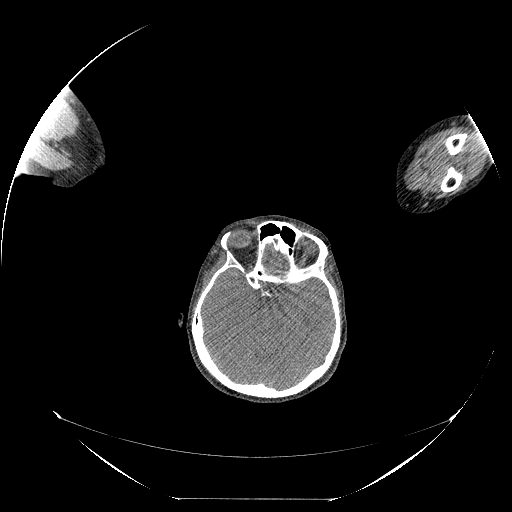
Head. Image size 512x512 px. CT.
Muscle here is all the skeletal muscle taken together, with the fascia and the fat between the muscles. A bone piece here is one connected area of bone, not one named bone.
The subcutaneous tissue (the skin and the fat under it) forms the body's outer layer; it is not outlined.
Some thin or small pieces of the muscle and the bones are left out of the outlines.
{"head":[{"outer":[[266,214],[280,214],[302,220],[326,235],[331,244],[345,294],[347,340],[335,372],[313,393],[297,403],[286,406],[243,401],[216,389],[200,373],[192,359],[186,320],[181,327],[178,326],[180,312],[182,311],[186,317],[198,270],[219,232],[236,220]],"holes":[[[267,225],[273,225],[274,226],[275,226],[277,228],[277,229],[278,230],[278,231],[277,231],[276,232],[275,232],[274,233],[270,233],[269,234],[266,234],[265,235],[264,235],[263,236],[262,236],[262,227],[263,227],[264,226],[266,226]],[[284,228],[287,228],[288,229],[289,229],[293,233],[293,238],[292,239],[292,240],[291,241],[291,242],[290,242],[289,241],[286,241],[286,240],[284,238],[284,237],[282,235],[282,234],[281,233],[281,232],[283,230],[283,229]]]}],"muscle":[{"outer":[[451,126],[458,126],[459,127],[472,128],[477,131],[479,131],[481,133],[488,147],[488,159],[486,161],[482,170],[475,177],[471,179],[467,183],[465,187],[451,195],[449,195],[445,197],[442,197],[435,200],[434,199],[432,199],[429,201],[425,201],[426,200],[423,198],[422,199],[417,191],[409,190],[406,188],[406,186],[404,183],[403,176],[405,173],[406,168],[411,161],[418,146],[430,135],[440,130],[448,128]],"holes":[[[449,166],[453,166],[458,171],[461,172],[463,176],[462,177],[462,179],[459,185],[456,188],[455,190],[453,190],[449,192],[446,192],[445,193],[443,193],[440,190],[440,184],[441,183],[441,181],[443,177],[446,174],[447,172],[447,169]],[[463,132],[465,132],[469,135],[468,138],[466,140],[466,142],[465,143],[463,151],[460,151],[454,155],[450,155],[446,151],[445,149],[445,147],[444,146],[444,140],[450,135],[452,135],[453,134],[456,134],[457,133],[462,133]]]},[[59,92],[67,99],[71,104],[71,106],[76,112],[76,115],[78,118],[78,132],[75,142],[74,165],[72,166],[71,169],[69,171],[52,171],[51,170],[45,169],[42,166],[32,161],[22,152],[30,134],[38,122],[40,117],[48,107],[52,100]],[[219,244],[220,247],[225,252],[225,259],[223,263],[212,274],[208,282],[200,292],[196,301],[196,304],[193,309],[192,314],[193,304],[197,296],[198,289],[200,286],[203,274],[205,270],[208,268],[209,264],[212,262],[212,259],[214,256],[215,251]],[[329,253],[330,255],[330,262],[332,265],[334,275],[336,278],[336,281],[340,290],[341,309],[342,310],[341,311],[341,314],[342,315],[342,327],[341,325],[341,310],[340,309],[340,304],[339,303],[337,292],[335,287],[331,283],[325,272],[326,259]]],"right_arm":[[[65,87],[68,87],[77,95],[96,123],[99,129],[105,150],[105,162],[104,165],[100,169],[98,169],[92,175],[84,178],[71,187],[61,187],[54,185],[46,177],[35,176],[24,173],[20,175],[16,175],[17,164],[30,134],[49,104],[56,95]]],"brain":[[[228,269],[240,272],[246,283],[258,290],[262,297],[273,295],[273,288],[266,287],[268,284],[293,286],[316,278],[325,286],[334,321],[330,344],[323,360],[293,384],[277,388],[262,381],[236,381],[212,357],[204,339],[206,330],[202,307],[218,277]],[[270,247],[271,247],[271,249],[272,250],[273,250],[275,252],[277,252],[279,253],[281,257],[284,260],[286,261],[287,263],[287,267],[285,268],[283,268],[282,267],[276,267],[274,265],[268,265],[266,263],[266,257],[268,255],[268,248]]],"left_arm":[[[457,114],[467,114],[476,125],[488,147],[493,161],[493,166],[489,169],[483,179],[474,188],[453,199],[448,204],[440,209],[427,213],[412,213],[404,210],[397,202],[396,199],[396,188],[395,187],[396,167],[400,156],[412,140],[427,127],[440,119]]],"bones":[{"outer":[[265,220],[289,222],[302,230],[309,231],[326,244],[328,254],[325,259],[324,272],[336,292],[340,310],[341,326],[339,347],[327,371],[319,379],[300,392],[275,398],[247,395],[232,390],[219,382],[200,361],[191,332],[192,315],[199,296],[213,274],[226,259],[226,252],[220,245],[222,236],[226,232],[232,231],[227,241],[228,249],[239,262],[245,267],[248,267],[253,263],[256,255],[258,243],[255,232],[256,225]],"holes":[[[228,269],[240,272],[246,283],[258,290],[262,297],[273,295],[273,288],[266,287],[268,284],[293,286],[316,278],[325,286],[334,321],[330,344],[323,360],[293,384],[277,388],[262,381],[236,381],[212,357],[204,339],[206,330],[202,307],[218,277]],[[302,238],[307,238],[311,240],[315,244],[317,248],[317,254],[314,260],[315,261],[312,264],[308,266],[306,266],[305,267],[300,267],[298,266],[296,264],[296,259],[295,258],[295,248],[298,244],[298,243],[300,241],[300,240]],[[270,247],[271,247],[271,249],[272,250],[273,250],[275,252],[277,252],[279,253],[281,257],[284,260],[286,261],[287,263],[287,267],[285,268],[283,268],[282,267],[276,267],[274,265],[268,265],[266,263],[266,257],[268,255],[268,248]],[[267,225],[273,225],[274,226],[275,226],[277,228],[277,229],[278,230],[278,231],[277,231],[276,232],[275,232],[274,233],[270,233],[269,234],[266,234],[265,235],[264,235],[263,236],[262,236],[262,227],[263,227],[264,226],[266,226]],[[284,228],[287,228],[288,229],[289,229],[293,233],[293,238],[292,239],[292,240],[291,241],[291,242],[290,242],[289,241],[286,241],[286,240],[284,238],[284,237],[282,235],[282,234],[281,233],[281,232],[283,230],[283,229]]]},[[449,166],[453,166],[458,171],[461,172],[463,176],[462,177],[462,179],[459,185],[456,188],[455,190],[453,190],[449,192],[446,192],[445,193],[443,193],[440,190],[440,184],[441,183],[441,181],[443,177],[446,174],[447,172],[447,169]],[[463,132],[465,132],[469,135],[468,138],[466,140],[466,142],[465,143],[463,151],[460,151],[454,155],[450,155],[446,151],[445,149],[445,147],[444,146],[444,140],[450,135],[452,135],[453,134],[456,134],[457,133],[462,133]]]}